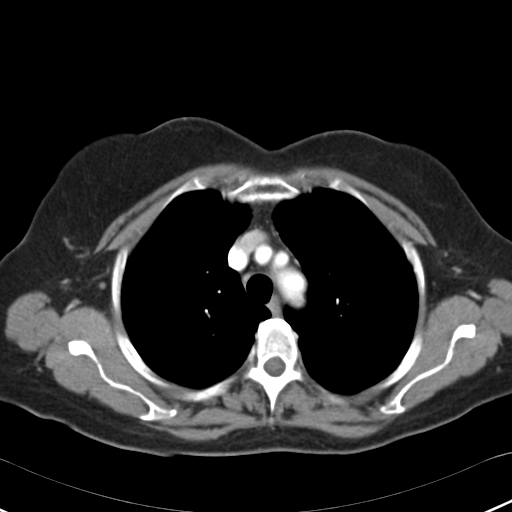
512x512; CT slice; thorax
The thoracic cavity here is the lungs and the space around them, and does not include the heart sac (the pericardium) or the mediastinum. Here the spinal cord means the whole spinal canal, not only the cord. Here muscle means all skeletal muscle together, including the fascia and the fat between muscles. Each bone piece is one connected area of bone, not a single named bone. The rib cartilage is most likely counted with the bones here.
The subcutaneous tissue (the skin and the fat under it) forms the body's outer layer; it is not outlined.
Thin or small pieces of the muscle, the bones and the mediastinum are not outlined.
Outlines:
spinal cord: [[274,357],[278,357],[283,362],[283,363],[284,364],[284,368],[283,369],[282,372],[278,375],[272,375],[268,372],[267,372],[264,368],[264,365],[265,364],[265,363],[268,360],[269,360],[271,358],[273,358]]
torso: [[188,115],[217,120],[267,148],[324,130],[350,128],[416,145],[439,158],[457,177],[485,220],[511,240],[511,394],[433,429],[357,453],[273,451],[173,457],[115,447],[0,401],[0,259],[24,235],[58,170],[76,150],[99,136],[117,131],[144,131]]
muscle: [[218,162],[280,172],[294,166],[331,166],[392,194],[421,218],[437,244],[419,246],[429,299],[435,302],[456,293],[475,299],[486,292],[491,278],[505,278],[511,281],[511,339],[473,375],[359,438],[306,427],[262,426],[190,441],[139,424],[87,395],[62,387],[50,373],[36,368],[32,354],[6,338],[7,308],[16,297],[32,290],[45,292],[62,313],[85,303],[102,308],[109,297],[110,274],[112,306],[126,332],[115,331],[121,353],[151,383],[171,388],[171,382],[193,389],[178,395],[187,402],[221,396],[238,380],[249,379],[262,387],[272,415],[280,392],[292,381],[303,382],[307,374],[324,388],[329,402],[345,405],[347,399],[331,392],[351,395],[368,388],[387,388],[415,363],[424,339],[420,331],[414,334],[425,294],[418,249],[405,237],[398,242],[366,197],[339,176],[329,176],[326,186],[308,191],[277,173],[253,173],[237,187],[220,191],[208,187],[211,174],[194,175],[156,204],[147,231],[130,253],[126,244],[116,252],[112,269],[112,251],[92,253],[108,225],[139,199],[192,168]], around holes outlined by [[73,339],[84,340],[90,345],[104,373],[110,379],[129,386],[162,408],[176,409],[177,413],[171,417],[156,420],[140,419],[138,416],[148,410],[146,403],[138,395],[114,387],[106,382],[101,377],[97,365],[89,356],[85,354],[72,355],[67,344]] and by [[467,323],[475,325],[474,337],[459,338],[455,342],[453,354],[449,362],[438,371],[416,381],[404,393],[401,398],[401,403],[406,407],[405,411],[390,414],[381,412],[379,407],[389,401],[408,382],[420,373],[440,364],[445,359],[454,330],[460,324]]
bones 1: [[276,317],[285,320],[297,334],[297,345],[306,373],[303,381],[292,380],[279,392],[272,414],[263,387],[249,378],[238,379],[223,394],[205,400],[187,401],[179,397],[186,391],[204,389],[237,374],[255,341],[255,333],[260,322]], around a hole outlined by [[274,357],[278,357],[283,362],[283,363],[284,364],[284,368],[283,369],[282,372],[278,375],[272,375],[268,372],[267,372],[264,368],[264,365],[265,364],[265,363],[268,360],[269,360],[271,358],[273,358]]
bones 2: [[253,174],[277,174],[290,185],[302,191],[305,190],[307,191],[302,192],[294,198],[284,199],[279,202],[268,200],[267,201],[257,202],[250,205],[247,203],[241,203],[236,201],[230,202],[222,197],[221,191],[222,190],[233,190],[237,188],[243,184]]
bones 3: [[73,339],[84,340],[90,345],[104,373],[110,379],[129,386],[162,408],[176,409],[177,413],[171,417],[156,420],[140,419],[138,416],[148,410],[146,403],[138,395],[114,387],[106,382],[101,377],[97,365],[89,356],[85,354],[72,355],[67,344]]
bones 4: [[467,323],[475,325],[474,337],[459,338],[455,342],[453,354],[449,362],[438,371],[416,381],[404,393],[401,398],[401,403],[406,407],[405,411],[390,414],[381,412],[379,407],[389,401],[408,382],[420,373],[440,364],[445,359],[454,330],[460,324]]
bones 5: [[117,330],[119,330],[123,333],[125,333],[129,338],[131,343],[143,361],[154,372],[155,372],[156,374],[165,380],[168,381],[173,386],[171,387],[163,387],[162,386],[157,385],[151,382],[140,374],[129,363],[122,353],[116,339],[116,331]]
bones 6: [[417,332],[420,332],[422,335],[422,338],[423,339],[422,340],[422,346],[419,352],[419,354],[416,358],[414,363],[407,372],[397,381],[387,387],[385,387],[384,388],[369,389],[370,387],[373,386],[378,382],[384,379],[397,367],[406,353],[414,335]]
bones 7: [[125,245],[126,245],[129,249],[129,254],[126,261],[126,264],[122,277],[122,281],[121,282],[121,292],[120,293],[121,319],[120,319],[114,309],[112,302],[112,297],[111,296],[111,279],[112,278],[113,265],[114,264],[114,260],[116,254],[117,252]]
bones 8: [[402,238],[405,238],[413,243],[417,249],[421,260],[421,263],[423,267],[423,272],[424,273],[424,294],[421,304],[419,304],[419,294],[418,293],[418,288],[417,287],[417,282],[416,281],[415,274],[413,271],[411,264],[408,261],[405,253],[399,243]]
bones 9: [[207,174],[211,175],[211,180],[209,182],[208,186],[206,188],[204,189],[192,190],[191,191],[184,192],[178,195],[159,213],[153,221],[153,219],[158,209],[158,205],[157,204],[159,202],[177,189],[186,181],[189,180],[194,176],[201,176]]
bones 10: [[329,177],[331,178],[333,177],[339,177],[348,184],[349,184],[352,187],[359,191],[365,197],[367,201],[370,204],[370,205],[376,213],[378,218],[377,216],[370,209],[369,209],[357,198],[343,191],[340,191],[339,190],[328,187],[327,186],[327,179]]
bones 11: [[322,389],[325,389],[327,391],[328,391],[333,394],[335,394],[336,395],[337,395],[338,396],[339,396],[340,397],[347,400],[348,401],[348,402],[345,404],[338,404],[337,403],[332,403],[330,401],[329,401],[329,400],[327,398],[327,397],[323,392]]
mediastinum: [[268,201],[277,203],[272,212],[273,223],[281,239],[299,262],[308,282],[305,307],[297,311],[285,306],[283,308],[283,318],[278,316],[271,317],[270,311],[265,306],[255,303],[248,297],[239,274],[228,265],[227,261],[229,249],[250,221],[250,206]]
thoracic cavity 1: [[317,187],[348,194],[376,216],[401,247],[414,274],[418,294],[413,336],[399,363],[381,380],[351,394],[331,391],[307,373],[298,334],[284,318],[285,307],[297,312],[306,307],[309,282],[300,262],[282,239],[274,223],[273,212],[281,201],[294,199]]
thoracic cavity 2: [[207,188],[219,191],[221,197],[230,203],[250,207],[249,221],[228,249],[226,261],[238,274],[247,297],[265,307],[270,317],[259,322],[254,341],[237,371],[209,386],[194,389],[165,379],[144,361],[124,326],[121,293],[129,255],[160,213],[178,196]]